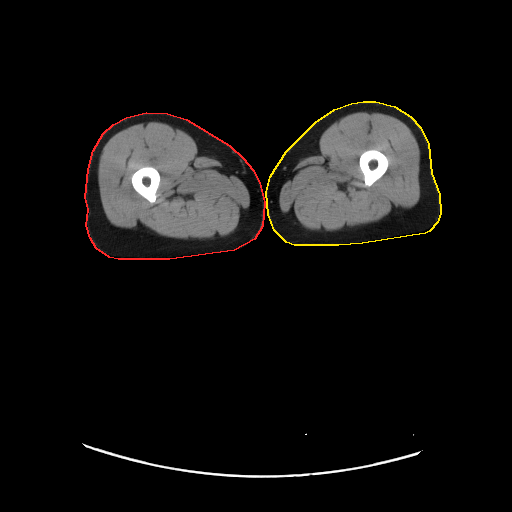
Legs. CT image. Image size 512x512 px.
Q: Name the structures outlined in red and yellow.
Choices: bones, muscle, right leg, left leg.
A: red: right leg; yellow: left leg.
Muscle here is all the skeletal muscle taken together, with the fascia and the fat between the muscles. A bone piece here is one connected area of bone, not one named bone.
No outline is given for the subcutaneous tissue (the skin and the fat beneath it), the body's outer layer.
right leg: (146, 112) (167, 113) (186, 119) (229, 145) (243, 158) (252, 169) (259, 182) (264, 202) (262, 226) (254, 239) (234, 250) (169, 259) (118, 259) (109, 257) (96, 248) (90, 238) (86, 225) (88, 209) (85, 197) (88, 169) (93, 150) (103, 133) (113, 124) (126, 117)
left leg: (363, 101) (375, 101) (394, 106) (410, 116) (420, 127) (428, 144) (431, 173) (439, 194) (440, 213) (437, 222) (429, 231) (425, 233) (362, 243) (338, 245) (294, 245) (286, 242) (274, 230) (268, 214) (266, 192) (270, 176) (286, 151) (315, 122) (334, 109) (351, 103)
bones 1: (368, 149) (376, 149) (383, 153) (388, 158) (388, 167) (384, 174) (380, 178) (379, 178) (376, 181) (375, 181) (370, 186) (365, 186) (364, 185) (364, 179) (363, 178) (363, 174) (359, 167) (359, 157) (361, 153) (363, 151) (367, 150)
bones 2: (143, 166) (153, 166) (155, 168) (156, 168) (156, 169) (158, 171) (160, 175) (160, 181) (159, 182) (158, 188) (156, 191) (156, 200) (154, 203) (151, 203) (149, 202) (145, 198) (141, 196) (133, 188) (132, 184) (131, 183) (131, 176) (132, 174) (139, 168)
muscle 1: (149, 121) (158, 121) (173, 125) (194, 136) (241, 178) (249, 194) (249, 206) (247, 220) (240, 231) (225, 237) (208, 241) (181, 240) (155, 237) (131, 232) (115, 227) (108, 221) (101, 204) (98, 185) (98, 164) (102, 149) (106, 142) (120, 130) (137, 123) (144, 123), around a hole outlined by (143, 166) (153, 166) (155, 168) (156, 168) (156, 169) (158, 171) (160, 175) (160, 181) (159, 182) (158, 188) (156, 191) (156, 200) (154, 203) (151, 203) (149, 202) (145, 198) (141, 196) (133, 188) (132, 184) (131, 183) (131, 176) (132, 174) (139, 168)
muscle 2: (359, 111) (369, 113) (380, 112) (394, 116) (405, 123) (411, 130) (420, 150) (420, 198) (418, 202) (411, 210) (390, 220) (350, 230) (340, 230) (335, 232) (312, 232) (299, 229) (285, 216) (279, 207) (279, 194) (285, 176) (300, 154) (315, 141) (326, 128) (341, 117) with a hole at (368, 149) (376, 149) (383, 153) (388, 158) (388, 167) (384, 174) (380, 178) (379, 178) (376, 181) (375, 181) (370, 186) (365, 186) (364, 185) (364, 179) (363, 178) (363, 174) (359, 167) (359, 157) (361, 153) (363, 151) (367, 150)